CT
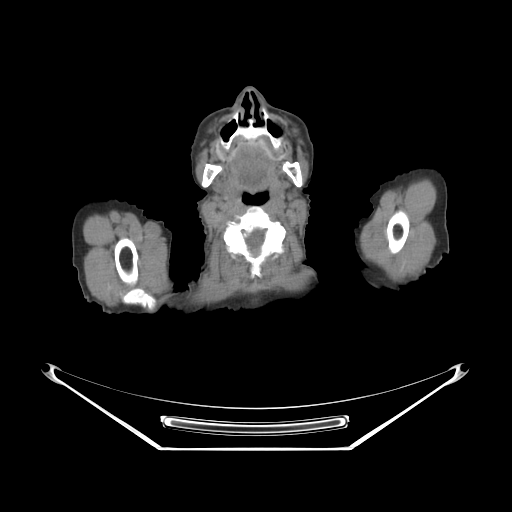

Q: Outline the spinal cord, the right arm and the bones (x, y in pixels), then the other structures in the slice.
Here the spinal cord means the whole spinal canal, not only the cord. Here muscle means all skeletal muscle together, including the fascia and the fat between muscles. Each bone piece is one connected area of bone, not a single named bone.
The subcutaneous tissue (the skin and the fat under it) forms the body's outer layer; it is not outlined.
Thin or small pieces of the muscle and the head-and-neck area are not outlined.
A: The spinal cord is outlined by 256 229; 259 229; 260 230; 264 230; 264 232; 263 233; 263 240; 258 249; 258 251; 257 253; 256 254; 254 254; 249 249; 249 247; 246 241; 246 237; 250 233; 251 233; 254 230. The right arm is outlined by 108 198; 126 200; 135 204; 143 209; 143 213; 147 217; 162 220; 171 230; 170 275; 174 284; 166 292; 158 295; 150 295; 134 290; 101 305; 93 302; 89 303; 83 297; 77 279; 77 271; 71 261; 72 221; 78 208; 86 202. The bones appear in 6 outlined pieces: piece 1: 258 204; 263 205; 269 216; 273 220; 278 220; 284 227; 285 236; 282 242; 284 251; 275 258; 270 255; 261 265; 261 276; 251 278; 249 264; 244 257; 237 254; 233 258; 227 251; 223 233; 228 221; 241 215; 248 205 with a hole at 256 229; 259 229; 260 230; 264 230; 264 232; 263 233; 263 240; 258 249; 258 251; 257 253; 256 254; 254 254; 249 249; 249 247; 246 241; 246 237; 250 233; 251 233; 254 230; piece 2: 123 237; 127 237; 132 240; 137 251; 138 280; 136 285; 161 301; 161 303; 159 304; 157 308; 152 311; 140 305; 125 304; 122 302; 121 299; 122 294; 124 290; 126 289; 126 286; 119 278; 116 269; 114 258; 114 246; 116 242; piece 3: 251 97; 254 125; 262 123; 259 106; 263 105; 273 121; 268 122; 268 130; 274 136; 282 137; 282 145; 274 149; 264 135; 254 140; 237 136; 225 150; 219 136; 227 140; 236 128; 233 120; 227 122; 241 101; 242 122; 246 123; piece 4: 397 210; 402 210; 406 213; 409 219; 409 230; 408 231; 408 234; 407 235; 406 240; 402 248; 397 253; 395 254; 392 254; 389 251; 389 249; 388 248; 388 241; 386 237; 386 229; 387 228; 387 224; 388 223; 389 219; piece 5: 285 161; 288 161; 289 162; 294 162; 295 161; 297 161; 299 163; 300 169; 301 170; 301 175; 302 176; 302 182; 303 183; 301 187; 297 187; 293 183; 292 180; 287 175; 287 174; 284 171; 283 171; 282 166; 283 165; 283 163; piece 6: 206 163; 210 163; 211 164; 217 164; 218 165; 220 165; 222 167; 222 170; 220 172; 219 172; 214 177; 211 183; 207 187; 205 188; 201 185; 201 181; 202 180; 202 176; 203 175; 203 170; 204 169; 204 166. The torso is outlined by 174 285; 174 288; 176 290; 166 301; 162 307; 154 314; 140 314; 139 315; 134 315; 128 313; 123 313; 118 315; 116 314; 106 314; 101 310; 101 308; 99 306; 104 305; 122 295; 134 291; 138 291; 150 296; 162 295; 166 293. The head and neck is outlined by 246 85; 273 106; 301 117; 308 127; 314 161; 304 190; 310 196; 304 242; 307 263; 319 274; 322 289; 300 301; 278 301; 255 310; 170 311; 163 306; 198 275; 204 259; 196 202; 205 192; 190 169; 196 128; 210 112; 231 105 with holes at 264 191; 266 191; 268 193; 268 199; 266 201; 265 201; 263 203; 258 203; 257 204; 247 204; 246 203; 245 203; 242 200; 242 194; 244 192; 246 192; 248 194; 250 194; 251 195; 254 195; 255 194; 258 194; 259 193; 262 193 and at 232 121; 233 121; 235 124; 235 128; 233 130; 233 131; 229 135; 229 136; 227 138; 227 139; 225 139; 222 136; 222 135; 221 134; 221 132; 222 131; 222 129; 224 127; 224 126; 225 126; 226 125; 226 124; 227 124 and at 246 94; 248 94; 248 99; 249 100; 249 102; 250 103; 250 106; 249 107; 249 109; 248 110; 248 112; 249 113; 249 116; 245 120; 245 123; 244 123; 243 122; 243 121; 245 119; 245 108; 242 105; 242 102; 243 101; 243 99 and at 253 95; 255 97; 255 98; 256 99; 256 100; 258 102; 258 115; 259 116; 259 118; 261 120; 261 123; 260 124; 259 124; 258 125; 255 125; 255 123; 256 122; 256 118; 255 117; 255 103; 254 102; 254 100; 253 99 and at 270 121; 271 122; 272 122; 274 124; 275 124; 275 125; 276 126; 277 126; 279 128; 279 129; 280 130; 280 133; 279 134; 279 135; 277 135; 276 136; 275 135; 274 135; 269 130; 269 128; 268 127; 268 124; 269 123; 269 122. The left arm is outlined by 417 166; 435 167; 445 178; 448 191; 446 219; 449 252; 443 255; 437 266; 428 269; 419 280; 401 287; 398 291; 379 290; 368 284; 360 274; 360 260; 354 248; 353 230; 359 219; 371 212; 372 206; 369 197; 380 183; 400 172. The muscle appears in 3 outlined pieces: piece 1: 269 111; 293 120; 303 133; 308 153; 305 182; 297 160; 285 160; 281 169; 301 188; 306 202; 300 259; 312 272; 313 281; 297 292; 263 293; 255 302; 236 296; 199 305; 177 303; 206 269; 210 243; 202 204; 207 188; 223 170; 220 164; 206 162; 200 183; 197 179; 196 155; 204 127; 213 118; 230 113; 218 136; 225 151; 237 137; 254 141; 261 136; 276 150; 283 145; 283 137 with a hole at 264 191; 268 193; 268 199; 261 204; 264 210; 285 229; 284 251; 275 258; 270 255; 261 265; 261 276; 251 278; 249 264; 244 257; 237 254; 233 258; 227 251; 223 233; 228 221; 246 210; 248 205; 242 200; 242 194; 254 195; piece 2: 105 208; 131 211; 138 217; 155 222; 161 227; 167 245; 168 301; 162 303; 159 298; 137 285; 139 255; 133 240; 127 236; 120 237; 113 246; 115 269; 125 286; 120 299; 124 304; 110 307; 91 294; 83 268; 82 225; 86 216; piece 3: 418 175; 431 176; 437 187; 437 197; 436 198; 437 199; 436 208; 438 220; 437 243; 429 261; 419 271; 399 281; 394 281; 385 277; 382 271; 377 266; 367 261; 364 258; 359 245; 359 236; 363 226; 374 215; 382 193; 387 188, around a hole outlined by 397 210; 402 210; 406 213; 409 219; 409 230; 408 231; 408 234; 407 235; 406 240; 402 248; 397 253; 395 254; 392 254; 389 251; 389 249; 388 248; 388 241; 386 237; 386 229; 387 228; 387 224; 388 223; 389 219.